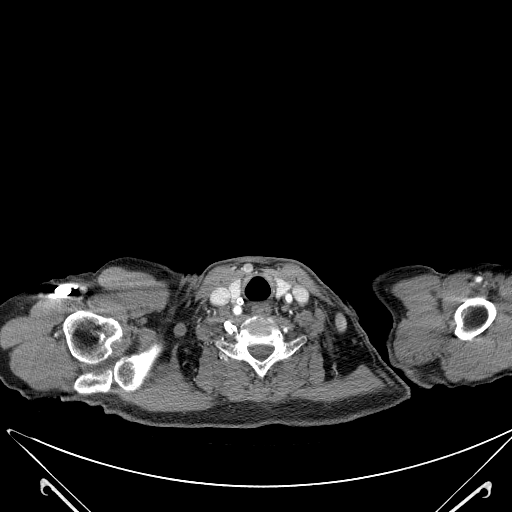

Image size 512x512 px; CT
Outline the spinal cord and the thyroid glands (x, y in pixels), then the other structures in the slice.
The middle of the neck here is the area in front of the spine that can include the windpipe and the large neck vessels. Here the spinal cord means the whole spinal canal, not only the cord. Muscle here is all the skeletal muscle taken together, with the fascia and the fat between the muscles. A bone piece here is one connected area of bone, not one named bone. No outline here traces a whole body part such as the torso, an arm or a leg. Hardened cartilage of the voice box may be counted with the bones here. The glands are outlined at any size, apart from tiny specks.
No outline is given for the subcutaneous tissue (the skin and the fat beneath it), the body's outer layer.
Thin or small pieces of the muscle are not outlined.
{"spinal_cord":[[[253,345],[267,345],[268,346],[271,346],[273,348],[272,349],[272,351],[264,359],[263,359],[262,360],[260,360],[259,359],[258,359],[257,358],[256,358],[255,357],[254,357],[250,353],[250,352],[248,349],[248,347],[249,346],[252,346]]],"thyroid_glands":[[[272,272],[274,272],[276,273],[279,276],[283,278],[283,279],[287,281],[290,285],[290,287],[282,295],[281,295],[279,297],[277,297],[275,295],[276,294],[276,289],[275,288],[275,284],[274,283],[274,280],[273,279],[273,277],[271,275],[271,273]],[[238,277],[239,277],[239,296],[235,300],[234,300],[231,297],[231,292],[230,291],[230,290],[229,289],[229,284],[230,283],[230,282],[231,282],[232,281],[232,280],[233,280],[234,279],[235,279],[236,278],[237,278]]],"middle_of_the_neck":[[[253,270],[255,272],[271,272],[275,289],[274,295],[277,298],[291,286],[301,285],[308,293],[308,303],[290,317],[269,314],[235,315],[228,309],[221,310],[211,307],[208,304],[208,297],[213,290],[228,285],[230,297],[235,301],[240,296],[240,277]]],"bones":[{"outer":[[253,315],[270,317],[280,328],[288,326],[290,337],[304,336],[306,338],[305,342],[292,355],[274,363],[262,379],[247,362],[232,358],[222,359],[219,356],[220,351],[214,343],[221,337],[227,337],[223,326],[226,320],[230,320],[239,327],[248,317]],"hole":[[253,345],[267,345],[268,346],[271,346],[273,348],[272,349],[272,351],[264,359],[263,359],[262,360],[260,360],[259,359],[258,359],[257,358],[256,358],[255,357],[254,357],[250,353],[250,352],[248,349],[248,347],[249,346],[252,346]]},[[80,309],[89,310],[94,313],[103,316],[111,317],[119,323],[122,329],[123,334],[120,341],[115,341],[111,345],[112,348],[111,355],[105,361],[97,365],[89,365],[76,359],[71,354],[68,348],[65,336],[62,330],[62,323],[65,318],[69,314]],[[155,342],[161,344],[162,350],[154,361],[149,376],[138,389],[134,391],[125,391],[113,382],[111,384],[110,391],[106,393],[96,392],[90,394],[80,394],[74,390],[73,384],[80,374],[89,371],[97,372],[103,368],[112,367],[121,357],[140,353]],[[476,296],[483,296],[488,300],[491,301],[496,307],[496,315],[493,321],[481,333],[476,335],[471,340],[460,340],[457,338],[453,333],[453,326],[452,325],[452,318],[453,317],[453,314],[456,308],[462,303],[464,299],[469,298],[470,297],[475,297]]],"muscle":[{"outer":[[245,260],[262,266],[290,262],[303,269],[341,304],[369,359],[394,382],[395,387],[387,390],[331,403],[300,399],[267,405],[227,401],[205,410],[154,412],[106,394],[113,383],[125,392],[138,390],[163,350],[159,342],[121,356],[112,366],[80,373],[72,388],[87,395],[32,388],[11,371],[7,351],[0,347],[0,326],[12,317],[27,314],[31,305],[28,297],[49,286],[82,281],[120,265],[187,288],[217,266]],"holes":[[[253,270],[274,272],[308,293],[308,303],[292,316],[270,317],[280,328],[288,326],[290,337],[304,336],[306,340],[288,358],[274,363],[262,379],[247,362],[222,359],[214,343],[227,337],[226,320],[239,327],[251,315],[235,315],[208,304],[213,290]],[[80,309],[89,310],[94,313],[103,316],[111,317],[119,323],[122,329],[123,334],[120,341],[115,341],[111,345],[112,348],[111,355],[105,361],[97,365],[89,365],[76,359],[71,354],[68,348],[65,336],[62,330],[62,323],[65,318],[69,314]]]},{"outer":[[460,271],[488,271],[493,274],[511,275],[511,367],[473,381],[463,379],[451,381],[439,366],[415,370],[399,359],[394,350],[394,340],[398,324],[405,316],[406,309],[400,300],[390,291],[392,284],[402,278],[422,273],[429,273],[442,280]],"hole":[[476,296],[483,296],[488,300],[491,301],[496,307],[496,315],[493,321],[481,333],[476,335],[471,340],[460,340],[457,338],[453,333],[453,326],[452,325],[452,318],[453,317],[453,314],[456,308],[462,303],[464,299],[469,298],[470,297],[475,297]]}]}